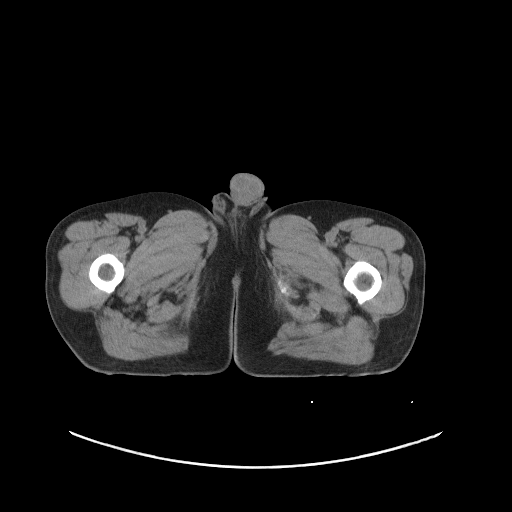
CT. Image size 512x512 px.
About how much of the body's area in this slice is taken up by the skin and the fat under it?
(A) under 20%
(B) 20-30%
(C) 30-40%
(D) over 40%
(D) over 40%
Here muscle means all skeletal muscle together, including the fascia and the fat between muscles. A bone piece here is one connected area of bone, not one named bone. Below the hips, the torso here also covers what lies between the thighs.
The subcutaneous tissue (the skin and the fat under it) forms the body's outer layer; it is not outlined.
Outlines (x, y in pixels):
left leg: (308, 199) (337, 200) (385, 211) (400, 218) (407, 223) (419, 237) (425, 253) (425, 297) (423, 313) (414, 344) (405, 360) (395, 370) (381, 374) (364, 375) (357, 377) (255, 377) (242, 372) (236, 366) (234, 350) (235, 274) (241, 251) (271, 208) (275, 209) (286, 204)
muscle 1: (168, 208) (198, 211) (214, 223) (218, 232) (215, 247) (200, 276) (199, 301) (182, 327) (190, 340) (188, 349) (183, 353) (143, 360) (113, 358) (104, 352) (92, 316) (70, 309) (60, 298) (61, 269) (57, 251) (62, 235) (71, 223) (95, 212) (127, 211) (151, 221), around a hole outlined by (103, 253) (112, 253) (114, 254) (123, 263) (123, 265) (124, 266) (124, 275) (123, 276) (123, 278) (116, 286) (113, 292) (110, 294) (108, 294) (106, 292) (102, 290) (100, 290) (96, 287) (91, 282) (89, 279) (89, 276) (88, 275) (88, 270) (91, 262) (97, 256)
muscle 2: (279, 213) (309, 216) (324, 229) (344, 217) (365, 215) (381, 219) (406, 233) (415, 262) (407, 303) (400, 314) (381, 321) (375, 353) (370, 361) (349, 365) (273, 355) (267, 350) (268, 343) (281, 324) (282, 315) (274, 305) (270, 273) (259, 245) (259, 234) (261, 224); inner edges: (357, 260) (364, 260) (365, 261) (367, 261) (369, 263) (373, 265) (379, 271) (380, 275) (381, 276) (381, 287) (378, 292) (372, 298) (365, 301) (361, 305) (358, 304) (356, 298) (351, 293) (350, 293) (344, 287) (343, 285) (343, 278) (346, 272) (353, 264) (353, 263), then (279, 281) (281, 281) (283, 283) (284, 283) (285, 284) (286, 284) (288, 286) (288, 287) (289, 288) (288, 289) (288, 294) (287, 294) (286, 295) (285, 294) (284, 294) (281, 292) (281, 291) (280, 290) (280, 288) (278, 285) (278, 282)
torso: (238, 172) (249, 172) (253, 173) (262, 180) (264, 184) (264, 193) (267, 196) (267, 202) (271, 206) (267, 213) (242, 247) (238, 259) (228, 243) (211, 211) (212, 207) (211, 198) (212, 196) (215, 193) (221, 191) (228, 192) (229, 191) (229, 181) (230, 178) (232, 175)
bones 1: (357, 260) (364, 260) (365, 261) (367, 261) (369, 263) (373, 265) (379, 271) (380, 275) (381, 276) (381, 287) (378, 292) (372, 298) (365, 301) (361, 305) (358, 304) (356, 298) (351, 293) (350, 293) (344, 287) (343, 285) (343, 278) (346, 272) (353, 264) (353, 263)
bones 2: (103, 253) (112, 253) (114, 254) (123, 263) (123, 265) (124, 266) (124, 275) (123, 276) (123, 278) (116, 286) (113, 292) (110, 294) (108, 294) (106, 292) (102, 290) (100, 290) (96, 287) (91, 282) (89, 279) (89, 276) (88, 275) (88, 270) (91, 262) (97, 256)
bones 3: (279, 281) (281, 281) (283, 283) (284, 283) (285, 284) (286, 284) (288, 286) (288, 287) (289, 288) (288, 289) (288, 294) (287, 294) (286, 295) (285, 294) (284, 294) (281, 292) (281, 291) (280, 290) (280, 288) (278, 285) (278, 282)
right leg: (148, 191) (166, 191) (182, 194) (209, 209) (238, 260) (234, 274) (234, 362) (232, 361) (227, 369) (222, 372) (209, 375) (174, 374) (169, 376) (107, 375) (96, 372) (84, 366) (75, 357) (51, 319) (46, 303) (44, 287) (45, 246) (54, 226) (63, 217) (85, 205)